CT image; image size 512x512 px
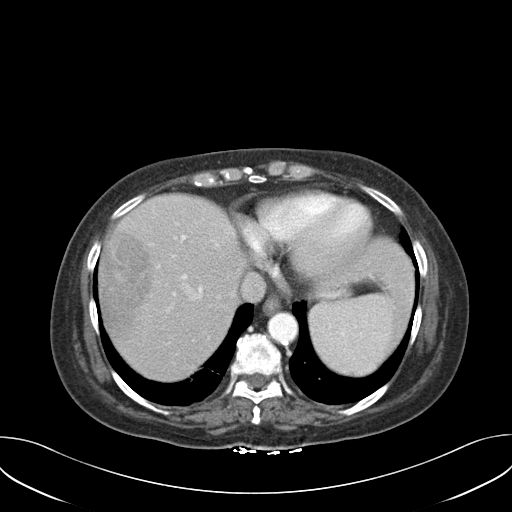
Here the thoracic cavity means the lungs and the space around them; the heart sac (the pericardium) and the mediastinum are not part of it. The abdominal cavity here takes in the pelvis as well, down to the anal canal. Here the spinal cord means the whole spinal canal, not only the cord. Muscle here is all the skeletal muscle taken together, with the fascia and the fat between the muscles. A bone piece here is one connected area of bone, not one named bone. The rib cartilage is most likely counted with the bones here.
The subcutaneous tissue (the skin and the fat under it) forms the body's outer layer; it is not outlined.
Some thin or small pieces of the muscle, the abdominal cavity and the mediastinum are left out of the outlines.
{"mediastinum":[[[279,176],[323,178],[359,190],[400,224],[399,242],[376,233],[378,210],[365,197],[326,183],[288,183],[256,188],[228,205],[277,287],[285,293],[306,287],[292,304],[298,339],[286,363],[265,334],[241,335],[253,319],[254,305],[240,291],[249,265],[222,206],[188,194],[157,194]]],"spinal_cord":[[[254,373],[259,373],[260,374],[262,374],[263,375],[264,375],[267,378],[267,381],[263,387],[262,387],[261,388],[259,388],[258,389],[255,389],[254,388],[253,388],[252,387],[251,387],[249,385],[249,383],[247,380],[247,377],[249,375],[251,375]]],"torso":[[[256,147],[327,148],[357,153],[389,167],[421,194],[449,235],[468,284],[466,344],[451,383],[427,410],[394,428],[291,451],[182,447],[129,435],[101,424],[69,396],[57,374],[50,348],[49,320],[54,285],[74,229],[108,187],[138,167],[175,156]]],"thoracic_cavity":[[[401,225],[410,239],[416,260],[419,290],[407,347],[399,364],[389,380],[352,404],[327,404],[307,397],[288,380],[283,364],[287,363],[299,339],[293,304],[305,302],[311,347],[328,370],[348,378],[371,375],[402,341],[412,311],[415,269],[400,242]],[[97,261],[97,295],[104,330],[123,361],[134,372],[154,382],[173,384],[189,380],[218,349],[238,308],[245,303],[253,305],[252,319],[236,340],[227,378],[213,393],[188,405],[163,405],[139,394],[120,376],[110,363],[100,337],[93,295],[93,273]]],"bones":[{"outer":[[254,333],[265,335],[278,349],[281,354],[285,377],[294,391],[293,395],[289,395],[284,391],[281,397],[275,396],[263,399],[258,404],[260,409],[258,424],[251,422],[254,403],[249,398],[243,396],[233,397],[230,393],[223,394],[238,338],[245,334]],"hole":[[254,373],[259,373],[260,374],[262,374],[263,375],[264,375],[267,378],[267,381],[263,387],[262,387],[261,388],[259,388],[258,389],[255,389],[254,388],[253,388],[252,387],[251,387],[249,385],[249,383],[247,380],[247,377],[249,375],[251,375]]},[[280,161],[288,165],[300,164],[313,168],[315,173],[304,179],[284,178],[279,175],[253,183],[245,175],[240,180],[225,181],[223,185],[199,187],[191,183],[195,174],[217,174],[222,168],[228,167],[241,169],[249,166],[255,173],[265,174],[270,164]],[[111,367],[113,368],[119,376],[135,392],[145,399],[151,402],[155,406],[159,408],[167,410],[169,411],[170,413],[167,415],[164,415],[163,414],[155,412],[137,403],[134,400],[126,395],[120,389],[113,379],[112,375],[110,372],[110,368]],[[388,381],[390,381],[390,385],[385,393],[379,399],[378,399],[371,405],[366,407],[360,411],[358,411],[350,415],[344,415],[343,414],[340,414],[338,412],[339,410],[341,409],[344,409],[347,407],[349,407],[351,405],[356,403],[358,401],[371,394]],[[358,184],[364,184],[365,185],[373,187],[379,190],[381,192],[382,192],[384,194],[391,198],[400,207],[400,208],[403,212],[403,215],[402,216],[395,215],[381,203],[374,199],[371,196],[370,196],[365,192],[362,191],[359,188]],[[412,239],[418,239],[424,249],[425,255],[427,259],[427,271],[426,272],[426,275],[425,277],[422,277],[421,278],[420,277],[420,275],[419,274],[419,269],[418,268],[418,264],[417,263],[417,260],[413,250],[413,246],[411,241]],[[140,193],[145,193],[145,198],[144,199],[143,199],[139,203],[135,205],[131,209],[127,211],[120,217],[116,219],[111,219],[110,218],[110,216],[112,214],[112,213],[120,205],[121,205],[124,202],[125,202],[130,198]],[[418,302],[421,305],[421,309],[422,310],[421,321],[420,322],[420,325],[419,326],[416,337],[414,340],[414,342],[411,346],[408,347],[408,343],[410,339],[410,334],[411,333],[411,328],[413,323],[413,318],[414,317],[415,310],[416,309]],[[96,239],[99,240],[101,243],[101,246],[100,247],[100,249],[99,250],[99,254],[98,255],[98,257],[97,258],[97,260],[96,261],[96,263],[95,264],[95,266],[92,273],[90,272],[87,268],[87,258],[88,257],[89,251],[93,244],[93,242]],[[92,295],[93,296],[93,298],[95,302],[95,305],[96,306],[96,309],[97,310],[97,317],[98,318],[98,328],[99,329],[99,336],[98,336],[96,334],[96,332],[92,325],[92,323],[90,319],[90,315],[89,314],[89,300],[90,299],[90,297]]],"muscle":[[[401,207],[430,243],[447,289],[443,347],[440,360],[431,375],[408,399],[377,413],[339,424],[306,424],[292,430],[259,424],[259,404],[263,400],[281,398],[284,392],[289,396],[295,394],[288,381],[313,401],[327,405],[350,405],[337,411],[344,416],[371,406],[390,387],[390,379],[407,348],[415,342],[421,325],[423,310],[419,302],[420,278],[425,278],[428,271],[423,245],[418,238],[410,238],[396,217],[404,215]],[[114,209],[109,216],[111,220],[115,220],[113,225],[102,243],[97,238],[92,242],[86,258],[86,268],[92,274],[92,294],[88,300],[89,319],[111,365],[109,372],[112,379],[137,404],[164,416],[171,412],[153,403],[170,407],[188,406],[209,397],[227,379],[222,394],[249,399],[253,403],[250,420],[252,424],[214,435],[203,428],[183,428],[133,418],[103,402],[86,379],[75,353],[73,339],[81,263],[91,237]],[[218,168],[221,168],[217,173],[213,173],[209,171],[203,171],[193,174],[190,178],[190,183],[192,185],[166,188],[157,193],[154,193],[153,195],[149,197],[146,197],[145,192],[140,192],[145,190],[152,185],[178,176],[190,174],[201,170],[217,169]],[[310,166],[316,168],[319,168],[326,171],[337,172],[350,177],[354,177],[361,180],[367,184],[364,183],[358,183],[357,186],[359,189],[356,189],[353,187],[349,187],[331,179],[328,179],[323,177],[310,177],[313,176],[316,173],[316,170],[313,167]],[[271,160],[283,160],[280,160],[279,161],[274,161],[273,162],[270,163],[267,166],[267,167],[265,170],[265,173],[260,173],[259,172],[255,172],[254,171],[254,170],[252,167],[254,167],[256,165],[258,165],[259,164],[262,164],[263,163],[267,163]]],"pericardium":[[[288,184],[326,184],[357,194],[365,198],[377,210],[378,225],[363,248],[343,267],[321,279],[316,281],[312,280],[307,285],[294,285],[291,291],[285,292],[278,287],[270,272],[264,268],[260,260],[249,248],[229,205],[236,198],[252,190]]],"abdominal_cavity":[[[154,194],[188,195],[207,199],[220,205],[242,246],[248,265],[239,291],[244,303],[235,311],[225,337],[217,349],[203,363],[202,367],[189,379],[173,383],[148,379],[134,371],[124,361],[112,344],[103,325],[98,295],[98,258],[106,235],[116,220]],[[374,232],[376,234],[394,237],[409,256],[414,269],[413,301],[405,333],[391,355],[371,374],[363,377],[348,377],[328,369],[316,355],[312,347],[308,330],[306,302],[301,300],[302,292],[310,282],[321,280],[343,268],[364,248],[370,238],[374,235]]]}